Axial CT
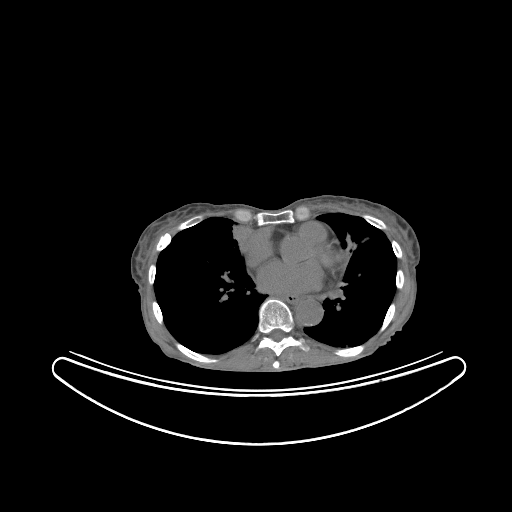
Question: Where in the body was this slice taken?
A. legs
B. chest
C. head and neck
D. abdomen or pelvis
Answer: B. chest
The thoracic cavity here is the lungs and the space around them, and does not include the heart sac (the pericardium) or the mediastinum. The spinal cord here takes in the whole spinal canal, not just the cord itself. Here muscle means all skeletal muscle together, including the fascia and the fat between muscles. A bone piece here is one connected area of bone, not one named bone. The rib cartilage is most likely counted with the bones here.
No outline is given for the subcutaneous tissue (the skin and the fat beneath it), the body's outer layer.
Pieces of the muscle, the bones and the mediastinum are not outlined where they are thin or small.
{"spinal_cord":[[[274,329],[280,329],[281,330],[282,330],[286,334],[285,335],[285,336],[284,336],[280,340],[279,340],[278,341],[277,341],[276,340],[274,340],[272,338],[271,338],[269,336],[269,334]]],"torso":[[[320,194],[381,203],[400,214],[414,229],[421,253],[416,267],[417,297],[413,313],[402,330],[359,361],[327,369],[284,371],[278,375],[202,371],[164,355],[144,328],[138,288],[130,275],[131,252],[142,230],[165,212],[190,202],[244,203],[275,209]]],"thoracic_cavity":[[[214,216],[231,218],[252,228],[247,247],[241,255],[244,260],[245,270],[254,287],[265,298],[258,307],[256,329],[248,341],[222,353],[205,354],[190,349],[172,335],[164,323],[163,313],[155,295],[154,282],[158,256],[171,242],[172,237],[179,231]],[[329,212],[359,215],[367,223],[383,231],[396,258],[396,289],[382,322],[373,335],[363,343],[353,346],[335,347],[301,332],[306,327],[316,326],[322,321],[325,313],[324,302],[342,281],[350,256],[348,250],[341,247],[331,226],[317,218],[318,215]]],"muscle":[[[304,203],[364,211],[389,221],[403,235],[409,250],[414,291],[408,313],[390,334],[371,350],[353,359],[285,368],[280,367],[280,362],[276,358],[269,370],[203,366],[166,351],[151,334],[145,319],[142,281],[144,264],[160,230],[189,214],[207,209],[245,208],[237,208],[232,218],[221,215],[205,217],[198,213],[181,221],[176,227],[178,231],[175,234],[172,236],[165,232],[158,238],[155,245],[155,250],[159,253],[156,262],[151,263],[147,270],[147,281],[153,285],[155,296],[151,302],[152,313],[160,325],[165,325],[176,340],[174,346],[183,355],[200,363],[216,363],[219,360],[216,357],[207,355],[225,353],[250,340],[256,344],[256,351],[268,348],[278,357],[288,347],[297,347],[307,352],[310,349],[305,338],[307,337],[336,348],[333,353],[337,356],[354,357],[365,349],[367,340],[386,329],[396,311],[393,301],[396,290],[400,290],[405,281],[403,270],[397,266],[397,259],[403,256],[400,244],[395,239],[388,238],[384,231],[388,226],[376,216],[343,211],[312,213],[306,205],[290,208]]],"mediastinum":[[[342,276],[341,281],[331,292],[329,297],[327,297],[323,302],[324,313],[321,321],[316,325],[306,326],[302,331],[296,328],[293,314],[289,306],[279,298],[266,297],[257,290],[254,283],[255,282],[260,288],[270,292],[282,294],[319,294],[333,286]],[[320,221],[323,221],[324,222],[325,222],[327,224],[328,224],[328,225],[329,226],[330,226],[330,227],[333,230],[333,231],[335,233],[335,234],[336,235],[336,236],[334,234],[334,233],[332,231],[332,230],[325,223],[324,223],[322,221]]],"bones":[{"outer":[[266,298],[279,299],[288,306],[292,314],[295,328],[304,337],[306,344],[309,347],[307,351],[302,350],[297,346],[288,346],[278,356],[276,356],[275,353],[268,347],[264,347],[256,350],[257,344],[251,339],[257,329],[259,321],[258,316],[259,307]],"hole":[[274,329],[280,329],[281,330],[282,330],[286,334],[285,335],[285,336],[284,336],[280,340],[279,340],[278,341],[277,341],[276,340],[274,340],[272,338],[271,338],[269,336],[269,334]]},[[297,206],[308,207],[311,212],[311,215],[306,219],[297,220],[293,223],[278,223],[277,224],[258,225],[253,219],[247,222],[236,221],[233,219],[233,214],[237,209],[246,209],[249,210],[253,214],[255,214],[260,211],[277,212],[285,209],[293,209]],[[176,341],[177,341],[185,347],[188,348],[190,350],[194,352],[196,352],[200,354],[204,354],[209,357],[211,357],[212,358],[216,358],[218,360],[216,362],[211,362],[210,363],[200,362],[199,361],[194,360],[183,354],[175,346],[175,342]],[[364,343],[365,345],[365,347],[364,349],[357,355],[355,355],[354,356],[347,356],[345,357],[344,356],[340,356],[339,355],[337,355],[334,353],[334,351],[335,349],[337,348],[344,348],[345,347],[353,347],[354,346],[357,346],[358,345],[360,345]],[[198,214],[201,214],[203,215],[203,216],[205,218],[203,220],[202,220],[200,222],[190,227],[188,227],[187,228],[185,228],[181,230],[178,230],[177,229],[177,227],[178,225],[181,222],[195,215],[197,215]],[[392,302],[393,302],[395,304],[395,311],[394,312],[393,317],[390,321],[390,322],[388,324],[388,325],[385,328],[385,329],[383,331],[379,333],[378,332],[378,330],[380,328],[383,322],[383,320],[386,314],[386,312],[390,304]],[[362,214],[368,214],[369,215],[371,215],[374,217],[376,217],[377,218],[382,220],[387,226],[387,228],[385,230],[382,230],[381,229],[380,229],[379,228],[378,228],[377,227],[376,227],[375,226],[370,224],[368,222],[367,222],[360,215],[361,215]],[[165,233],[169,233],[170,234],[170,235],[171,236],[171,240],[170,241],[170,242],[162,250],[161,250],[159,252],[158,251],[157,251],[156,250],[156,245],[157,244],[157,243],[158,242],[158,241],[159,240],[159,238],[163,234],[164,234]],[[154,300],[156,300],[156,301],[157,302],[157,303],[158,304],[158,305],[161,310],[161,312],[162,313],[162,316],[163,317],[163,323],[162,324],[160,324],[158,322],[158,321],[156,319],[156,318],[153,313],[153,309],[152,308],[152,302]],[[398,268],[399,268],[400,269],[401,269],[402,270],[402,271],[403,272],[403,276],[404,277],[404,281],[403,282],[403,285],[402,286],[402,287],[400,289],[398,289],[396,287],[396,273],[397,272],[397,269]],[[391,240],[395,240],[399,244],[399,245],[400,246],[400,247],[401,248],[401,250],[402,251],[402,256],[401,257],[401,258],[397,258],[396,257],[396,256],[395,255],[395,254],[394,253],[394,252],[393,251],[393,249],[392,248],[392,246],[391,245]],[[151,264],[155,264],[155,277],[154,278],[154,281],[153,282],[153,284],[152,285],[151,284],[150,284],[149,283],[149,282],[148,281],[148,270],[149,269],[149,267],[150,266],[150,265]]],"pericardium":[[[304,220],[317,220],[325,224],[339,241],[340,247],[343,250],[347,250],[349,256],[341,277],[333,285],[323,291],[320,291],[319,293],[282,293],[260,287],[248,273],[245,260],[242,255],[248,247],[252,231],[254,229],[268,227],[287,228],[303,222]]]}